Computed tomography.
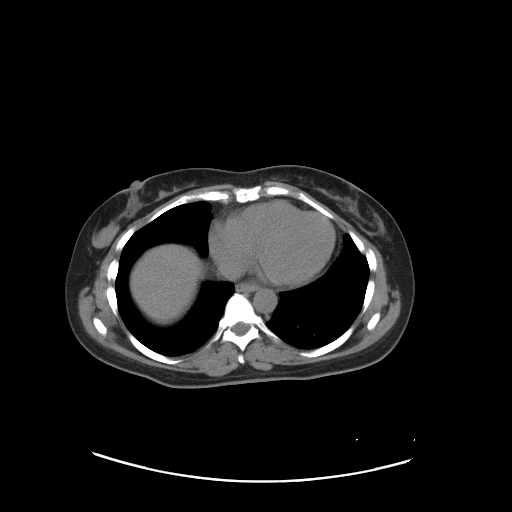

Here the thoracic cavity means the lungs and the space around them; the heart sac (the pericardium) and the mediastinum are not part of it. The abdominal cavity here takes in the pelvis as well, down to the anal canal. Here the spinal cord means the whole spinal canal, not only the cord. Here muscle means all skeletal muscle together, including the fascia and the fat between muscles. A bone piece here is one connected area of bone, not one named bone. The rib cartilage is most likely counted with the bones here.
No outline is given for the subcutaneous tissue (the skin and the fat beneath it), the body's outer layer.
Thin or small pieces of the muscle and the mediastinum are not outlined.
The spinal cord is outlined by 238 322; 242 322; 243 323; 245 323; 246 324; 247 324; 248 325; 249 325; 249 328; 247 330; 247 331; 245 333; 244 333; 241 335; 239 335; 238 334; 237 334; 236 333; 235 333; 232 330; 232 327; 235 324; 236 324. The thoracic cavity appears in 2 outlined pieces: piece 1: 197 201; 207 201; 210 206; 207 256; 187 243; 158 243; 138 256; 127 277; 133 305; 157 328; 181 321; 205 282; 233 284; 234 292; 208 341; 192 352; 171 357; 149 348; 128 329; 119 313; 115 282; 121 252; 136 231; 172 208; piece 2: 345 233; 349 235; 357 249; 364 255; 369 270; 369 276; 359 313; 345 331; 333 340; 321 346; 312 349; 301 349; 287 343; 272 331; 265 322; 272 317; 273 312; 280 300; 280 293; 305 286; 322 276; 342 253; 344 247. The torso is outlined by 278 164; 305 165; 340 176; 374 197; 398 224; 412 261; 415 296; 407 326; 396 346; 384 358; 360 369; 312 379; 174 388; 112 367; 82 347; 68 323; 64 281; 78 233; 102 202; 135 179; 142 180; 174 169; 214 167; 242 171. The muscle is outlined by 265 181; 279 181; 305 191; 347 221; 378 249; 387 272; 400 292; 401 301; 400 313; 395 323; 382 337; 364 349; 340 357; 268 370; 241 364; 226 374; 210 376; 142 363; 104 347; 87 333; 78 313; 79 292; 125 228; 180 194; 227 183; 241 186; 235 185; 230 189; 182 194; 157 210; 139 229; 135 225; 130 226; 117 240; 114 249; 120 252; 119 258; 113 258; 106 269; 107 281; 114 284; 107 285; 105 294; 113 315; 118 317; 119 314; 127 328; 126 336; 131 344; 143 355; 169 365; 176 365; 183 360; 175 357; 192 353; 205 344; 209 348; 218 341; 236 345; 240 351; 237 360; 243 364; 243 352; 247 345; 254 339; 260 339; 262 334; 275 343; 283 341; 300 349; 298 354; 307 358; 324 355; 341 346; 353 333; 353 322; 360 312; 362 315; 367 310; 374 295; 375 281; 369 277; 370 272; 377 269; 376 255; 370 247; 366 248; 354 231; 344 231; 334 221; 332 213; 303 191; 293 191; 280 185; 256 184 with holes at 94 317; 97 317; 103 323; 103 324; 106 327; 106 329; 107 330; 107 331; 106 332; 106 334; 104 336; 103 335; 102 335; 101 334; 100 334; 98 332; 98 331; 96 329; 96 328; 95 327; 95 326; 93 323; 93 318 and at 376 312; 379 312; 379 313; 380 314; 380 317; 379 318; 379 320; 377 322; 376 325; 373 329; 372 329; 371 330; 368 330; 368 329; 367 328; 367 323; 370 319; 370 318; 373 315; 373 314; 374 314. The mediastinum appears in 3 outlined pieces: piece 1: 234 284; 253 284; 254 285; 265 287; 268 289; 270 289; 276 292; 279 292; 279 300; 277 303; 276 307; 272 312; 271 317; 268 320; 266 320; 265 321; 260 315; 257 314; 255 312; 251 302; 243 294; 238 292; 235 292; 235 286; piece 2: 208 201; 210 201; 211 202; 223 202; 226 204; 227 203; 235 203; 236 202; 238 203; 236 203; 235 204; 233 204; 223 208; 212 218; 211 221; 211 219; 212 218; 212 214; 211 213; 211 206; 210 205; 210 203; piece 3: 208 255; 208 257; 211 262; 211 264; 213 266; 213 269; 215 270; 215 271; 217 272; 217 273; 219 274; 225 280; 226 280; 220 280; 219 281; 211 281; 210 280; 210 267; 208 265; 208 261; 206 259. The abdominal cavity is outlined by 169 242; 176 242; 193 246; 197 250; 199 255; 205 258; 207 261; 207 265; 209 267; 209 280; 201 284; 197 298; 189 311; 181 320; 169 327; 157 327; 146 321; 134 305; 128 288; 128 277; 132 265; 145 250; 152 246. The bones appear in 11 outlined pieces: piece 1: 234 293; 243 295; 250 302; 254 312; 262 318; 266 326; 281 340; 275 342; 262 333; 260 338; 252 339; 242 352; 243 363; 240 363; 238 360; 240 349; 231 341; 218 340; 209 347; 205 346; 215 333; 223 316; 225 305 with a hole at 238 322; 242 322; 243 323; 245 323; 246 324; 247 324; 248 325; 249 325; 249 328; 247 330; 247 331; 245 333; 244 333; 241 335; 239 335; 238 334; 237 334; 236 333; 235 333; 232 330; 232 327; 235 324; 236 324; piece 2: 259 184; 264 187; 280 186; 293 192; 301 191; 332 214; 333 220; 301 200; 289 195; 278 194; 246 202; 234 200; 226 203; 221 200; 192 201; 172 207; 144 224; 157 211; 184 194; 212 190; 223 191; 230 190; 235 186; 252 187; piece 3: 352 324; 354 325; 354 329; 350 336; 341 345; 335 348; 333 350; 329 351; 324 354; 322 354; 318 356; 315 356; 314 357; 307 357; 306 356; 302 356; 299 354; 299 352; 302 350; 312 350; 313 349; 321 347; 333 341; 345 332; piece 4: 128 331; 129 331; 142 344; 149 349; 167 357; 170 357; 171 358; 180 358; 182 359; 182 360; 176 364; 169 364; 168 363; 165 363; 164 362; 161 362; 160 361; 155 360; 143 354; 132 344; 128 338; 127 336; 127 332; piece 5: 349 230; 351 230; 353 232; 354 232; 354 233; 361 240; 366 249; 370 248; 373 251; 375 255; 375 258; 376 259; 376 269; 375 271; 370 271; 369 269; 369 266; 367 262; 367 259; 365 255; 358 249; 357 246; 348 233; 348 231; piece 6: 108 285; 114 285; 114 289; 115 290; 115 295; 116 296; 116 300; 117 301; 117 309; 118 310; 118 316; 115 316; 114 315; 114 314; 109 305; 109 303; 108 302; 108 300; 107 299; 107 295; 106 294; 106 289; 107 288; piece 7: 369 278; 373 279; 374 281; 374 290; 373 291; 373 295; 371 298; 371 300; 366 310; 362 314; 361 314; 361 310; 362 309; 362 306; 363 305; 364 296; 365 295; 365 292; 366 291; 366 288; 367 287; 367 284; 368 283; 368 280; piece 8: 132 226; 135 226; 136 227; 136 230; 128 239; 128 240; 126 242; 126 243; 123 246; 121 251; 117 251; 115 249; 115 248; 116 247; 116 245; 117 244; 117 242; 118 241; 118 240; 121 237; 121 236; 124 233; 124 232; piece 9: 115 258; 116 259; 118 259; 118 268; 117 269; 117 273; 116 274; 116 277; 115 278; 115 281; 114 282; 113 282; 112 281; 108 281; 108 280; 107 279; 107 269; 108 268; 108 267; 109 266; 109 264; 111 262; 111 261; piece 10: 94 317; 97 317; 103 323; 103 324; 106 327; 106 329; 107 330; 107 331; 106 332; 106 334; 104 336; 103 335; 102 335; 101 334; 100 334; 98 332; 98 331; 96 329; 96 328; 95 327; 95 326; 93 323; 93 318; piece 11: 376 312; 379 312; 379 313; 380 314; 380 317; 379 318; 379 320; 377 322; 376 325; 373 329; 372 329; 371 330; 368 330; 368 329; 367 328; 367 323; 370 319; 370 318; 373 315; 373 314; 374 314. The pericardium is outlined by 265 198; 288 198; 301 201; 317 210; 335 223; 340 236; 340 249; 338 255; 330 264; 327 270; 313 281; 305 285; 280 292; 253 283; 234 283; 225 279; 214 269; 214 266; 209 257; 208 242; 209 226; 213 218; 223 209; 230 206.